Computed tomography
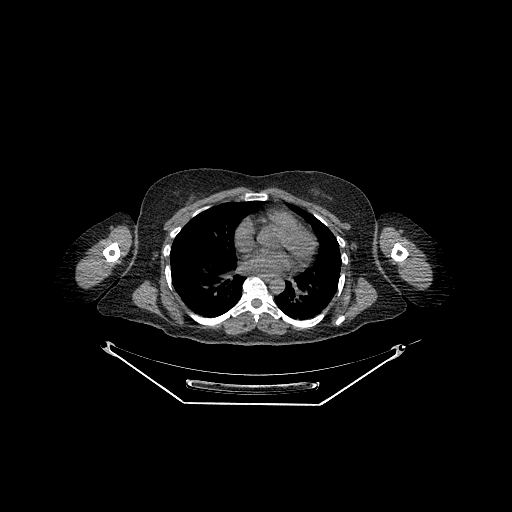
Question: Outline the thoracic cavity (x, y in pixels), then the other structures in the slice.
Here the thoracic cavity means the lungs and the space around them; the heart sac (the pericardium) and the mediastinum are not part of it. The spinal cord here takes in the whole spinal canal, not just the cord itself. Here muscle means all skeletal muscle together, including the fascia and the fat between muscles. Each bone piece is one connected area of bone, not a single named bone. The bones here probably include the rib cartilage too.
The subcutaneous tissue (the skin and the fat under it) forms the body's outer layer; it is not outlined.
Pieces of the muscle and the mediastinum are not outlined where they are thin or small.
Answer: The thoracic cavity appears in 2 outlined pieces: piece 1: [[228,201],[262,201],[263,204],[249,212],[239,222],[233,231],[237,268],[240,273],[245,277],[241,285],[241,294],[238,300],[226,311],[216,316],[208,317],[192,311],[177,293],[172,282],[172,272],[169,257],[173,240],[183,226],[191,218],[204,210]]; piece 2: [[288,202],[311,213],[326,226],[334,235],[340,251],[341,265],[336,292],[326,307],[318,314],[303,319],[294,318],[285,313],[278,306],[274,297],[284,291],[287,281],[311,268],[318,255],[320,243],[314,234],[311,225],[300,215],[290,209],[286,205]]. The torso is outlined by [[203,167],[249,175],[317,170],[356,185],[366,195],[374,211],[377,267],[406,302],[404,312],[391,319],[367,323],[344,335],[287,345],[202,343],[170,336],[151,325],[101,314],[97,310],[98,300],[126,273],[134,256],[136,221],[147,189],[167,174]]. The left arm is outlined by [[390,211],[399,212],[410,218],[414,222],[422,227],[436,240],[447,258],[450,265],[451,273],[453,275],[455,288],[453,294],[439,305],[428,308],[420,307],[414,304],[405,297],[404,298],[389,282],[378,267],[375,254],[376,218],[378,218],[381,214]]. The bones appear in 13 outlined pieces: piece 1: [[250,276],[259,277],[277,306],[294,319],[312,318],[325,308],[327,312],[321,321],[306,328],[293,326],[267,312],[262,312],[255,322],[253,314],[248,310],[212,326],[200,324],[187,314],[187,310],[208,318],[223,314],[239,300],[243,282]] with a hole at [[256,298],[257,298],[258,299],[259,299],[261,301],[261,304],[259,306],[258,306],[257,307],[255,307],[254,306],[253,306],[252,305],[252,300],[253,299],[255,299]]; piece 2: [[115,241],[116,241],[118,243],[118,246],[120,249],[120,255],[119,256],[119,257],[114,262],[108,262],[106,260],[106,259],[105,258],[105,257],[103,255],[103,250],[105,247],[106,247],[109,244],[110,244],[112,242],[114,242]]; piece 3: [[396,242],[398,242],[399,243],[400,243],[407,250],[407,251],[408,252],[408,255],[407,256],[407,257],[404,260],[403,260],[400,262],[398,262],[397,261],[395,261],[391,257],[391,249],[393,246],[393,244]]; piece 4: [[246,192],[265,192],[268,194],[268,196],[269,197],[269,198],[267,200],[265,200],[264,201],[263,201],[262,200],[249,200],[248,201],[246,201],[245,200],[239,200],[239,196],[240,195],[241,195],[242,194],[243,194]]; piece 5: [[166,264],[169,264],[169,265],[170,266],[170,271],[171,272],[171,282],[172,283],[172,286],[173,287],[173,288],[172,289],[170,289],[169,288],[169,287],[168,286],[168,285],[167,284],[167,281],[166,280],[166,277],[165,276],[165,266],[166,265]]; piece 6: [[341,272],[344,272],[344,273],[345,274],[345,280],[344,281],[344,284],[343,285],[342,290],[341,291],[340,294],[338,296],[337,296],[337,295],[336,294],[336,293],[337,292],[337,286],[338,285],[338,281],[339,280],[339,277],[340,276],[340,273]]; piece 7: [[168,243],[170,243],[171,244],[171,247],[170,248],[170,251],[169,252],[169,256],[168,257],[166,257],[165,256],[164,256],[163,255],[163,254],[162,253],[162,250],[163,249],[163,247],[166,244],[167,244]]; piece 8: [[177,226],[182,226],[182,227],[181,228],[181,229],[178,232],[178,233],[175,236],[175,237],[173,239],[172,239],[170,237],[170,236],[169,235],[169,234],[170,233],[170,232],[175,227],[176,227]]; piece 9: [[209,204],[212,205],[212,206],[211,206],[209,208],[207,208],[206,209],[204,209],[203,210],[202,210],[200,212],[199,212],[194,216],[191,217],[191,214],[194,211],[195,211],[198,208],[200,208],[203,206],[205,206],[206,205],[208,205]]; piece 10: [[346,313],[348,313],[348,314],[347,315],[347,316],[345,318],[345,319],[339,325],[336,325],[335,324],[335,320],[340,315],[343,315],[344,314],[345,314]]; piece 11: [[336,234],[337,234],[338,235],[339,235],[341,237],[342,237],[344,239],[344,240],[345,241],[345,246],[343,248],[341,248],[340,247],[340,246],[339,245],[339,244],[338,243],[338,241],[337,240],[337,239],[336,238],[336,237],[335,236],[335,235]]; piece 12: [[312,212],[315,212],[316,213],[317,213],[319,215],[320,215],[327,222],[327,223],[328,224],[328,226],[327,226],[326,225],[325,225],[320,220],[319,220],[312,213]]; piece 13: [[342,252],[345,252],[346,253],[346,254],[347,255],[347,257],[348,258],[348,261],[347,262],[347,263],[346,264],[343,264],[342,263],[342,261],[341,260],[341,253]]. The pericardium is outlined by [[280,206],[291,210],[297,214],[310,226],[318,244],[317,249],[307,267],[303,271],[299,273],[285,276],[280,276],[279,275],[277,276],[260,276],[247,268],[240,260],[236,250],[235,232],[238,226],[253,212],[261,211],[265,208],[269,207],[279,207]]. The spinal cord is outlined by [[256,298],[257,298],[258,299],[259,299],[261,301],[261,304],[259,306],[258,306],[257,307],[255,307],[254,306],[253,306],[252,305],[252,300],[253,299],[255,299]]. The right arm is outlined by [[118,211],[123,211],[128,213],[135,222],[135,250],[125,273],[101,297],[98,299],[95,299],[90,303],[87,304],[76,304],[66,300],[58,294],[54,287],[54,284],[53,283],[53,278],[55,275],[57,266],[60,263],[65,252],[74,240],[89,227]]. The muscle appears in 3 outlined pieces: piece 1: [[240,186],[254,191],[240,194],[238,200],[228,200],[214,205],[209,203],[198,207],[183,225],[177,225],[169,232],[172,242],[162,247],[162,255],[169,259],[169,263],[164,266],[166,284],[170,290],[175,290],[189,309],[186,310],[186,314],[194,322],[212,327],[248,311],[252,314],[255,323],[262,313],[267,313],[274,319],[281,319],[293,327],[306,329],[321,322],[328,312],[327,306],[332,298],[335,294],[337,297],[341,294],[346,280],[346,274],[341,271],[341,266],[349,261],[347,253],[340,250],[346,246],[345,239],[337,233],[334,234],[328,227],[328,222],[317,212],[310,212],[284,199],[270,198],[267,192],[259,191],[268,187],[285,190],[319,205],[350,225],[345,232],[350,246],[353,276],[365,278],[375,288],[378,294],[376,301],[346,323],[341,324],[349,313],[340,314],[334,320],[335,326],[283,334],[268,334],[255,328],[234,335],[221,330],[172,325],[157,314],[135,305],[131,299],[133,291],[144,280],[155,283],[159,278],[160,252],[166,233],[163,228],[164,223],[188,204],[219,191]]; piece 2: [[120,224],[126,225],[129,228],[133,237],[133,244],[131,246],[127,256],[123,260],[123,262],[110,275],[101,281],[99,284],[90,288],[80,287],[75,280],[75,269],[77,263],[84,256],[85,252],[90,247],[100,239],[105,237],[109,231],[115,226]] with a hole at [[115,241],[116,241],[118,243],[118,246],[120,249],[120,255],[119,256],[119,257],[114,262],[108,262],[106,260],[106,259],[105,258],[105,257],[103,255],[103,250],[105,247],[106,247],[109,244],[110,244],[112,242],[114,242]]; piece 3: [[386,226],[395,227],[399,230],[401,234],[405,236],[409,240],[412,241],[426,255],[427,261],[431,265],[432,273],[433,274],[432,282],[427,288],[423,290],[418,290],[403,281],[398,277],[396,269],[393,264],[384,257],[378,244],[378,236],[381,230]], around a hole outlined by [[396,242],[398,242],[399,243],[400,243],[407,250],[407,251],[408,252],[408,255],[407,256],[407,257],[404,260],[403,260],[400,262],[398,262],[397,261],[395,261],[391,257],[391,249],[393,246],[393,244]]. The mediastinum appears in 5 outlined pieces: piece 1: [[296,274],[299,274],[295,276],[293,276],[291,278],[291,279],[289,280],[287,280],[285,282],[285,287],[283,291],[282,291],[280,293],[274,296],[271,293],[270,293],[267,285],[260,277],[277,277],[278,276],[280,277],[285,277],[286,276],[293,276]]; piece 2: [[269,199],[273,199],[274,200],[284,200],[287,202],[285,203],[285,205],[287,207],[285,207],[281,205],[279,206],[269,206],[268,207],[265,207],[261,210],[256,210],[255,211],[253,211],[259,208],[262,205],[264,204],[264,202],[265,201],[267,201]]; piece 3: [[236,251],[237,253],[237,256],[239,260],[241,262],[241,263],[247,269],[250,270],[256,275],[257,275],[250,275],[246,277],[244,274],[242,274],[241,273],[241,272],[238,268],[238,263],[237,262],[237,255],[236,254]]; piece 4: [[318,242],[319,243],[319,248],[318,249],[318,252],[314,260],[314,262],[313,264],[310,267],[309,269],[306,270],[302,273],[300,273],[303,272],[308,267],[308,266],[312,261],[318,249],[318,246],[319,245]]; piece 5: [[251,212],[252,212],[251,213],[250,213],[247,216],[247,217],[246,217],[240,223],[240,222],[249,213],[250,213]].